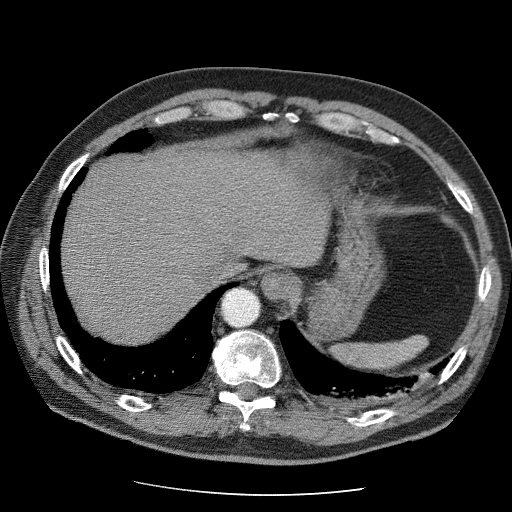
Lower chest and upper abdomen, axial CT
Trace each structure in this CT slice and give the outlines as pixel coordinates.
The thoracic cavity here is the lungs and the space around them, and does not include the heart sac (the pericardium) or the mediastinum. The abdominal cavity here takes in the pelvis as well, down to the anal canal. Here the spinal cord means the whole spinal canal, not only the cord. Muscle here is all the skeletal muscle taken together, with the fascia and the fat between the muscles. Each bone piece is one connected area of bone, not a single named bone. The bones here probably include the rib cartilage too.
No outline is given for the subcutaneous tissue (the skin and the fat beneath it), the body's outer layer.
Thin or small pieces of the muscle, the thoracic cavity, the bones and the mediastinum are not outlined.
{"bones":[{"outer":[[246,329],[262,333],[275,344],[282,375],[269,390],[276,400],[276,405],[273,408],[255,409],[247,421],[250,429],[243,431],[238,426],[243,420],[240,410],[235,405],[218,400],[218,392],[228,386],[210,367],[212,366],[211,354],[216,340],[233,331]],"hole":[[246,382],[248,382],[249,383],[253,383],[257,385],[260,388],[261,390],[261,391],[259,393],[259,395],[253,398],[251,400],[245,400],[244,399],[242,399],[240,397],[239,395],[239,393],[236,388],[236,387],[240,384],[242,384]]},[[324,111],[339,111],[350,114],[358,119],[365,120],[375,127],[397,136],[401,140],[401,143],[390,145],[381,142],[372,141],[363,132],[365,128],[364,126],[361,126],[360,130],[352,131],[350,135],[337,133],[326,129],[318,125],[315,122],[315,115]],[[215,99],[218,99],[219,100],[227,99],[228,100],[235,101],[244,105],[249,109],[249,111],[246,114],[246,116],[245,117],[238,118],[237,119],[218,119],[217,120],[215,119],[208,119],[205,117],[205,110],[203,107],[203,104],[204,102],[207,102]],[[382,407],[393,407],[398,411],[398,414],[388,418],[381,424],[374,423],[373,424],[370,424],[367,426],[362,426],[360,427],[359,426],[354,426],[350,424],[346,421],[345,419],[346,416],[358,415],[364,411],[367,410],[373,410]],[[58,334],[60,334],[61,335],[63,335],[65,336],[65,337],[67,339],[71,347],[77,353],[80,359],[81,364],[88,370],[86,371],[82,376],[78,374],[73,369],[72,369],[62,357],[60,352],[57,348],[57,346],[55,342],[55,336]],[[88,151],[90,153],[90,156],[88,158],[86,163],[83,166],[82,166],[76,173],[72,180],[69,183],[66,189],[62,193],[61,196],[58,196],[57,187],[58,186],[58,183],[59,182],[60,177],[63,173],[64,170],[73,160],[77,158],[81,154]],[[179,106],[189,106],[192,109],[192,112],[193,114],[192,114],[188,118],[186,119],[182,119],[178,121],[174,121],[173,122],[166,123],[158,126],[154,125],[152,122],[152,117],[155,114],[159,112],[165,111],[166,110],[168,110],[172,108],[175,108]],[[122,393],[126,393],[131,395],[137,395],[138,396],[141,396],[145,399],[151,401],[152,402],[152,407],[148,410],[146,410],[145,411],[141,411],[140,412],[132,412],[131,411],[126,410],[122,407],[119,406],[114,400],[114,399],[118,397],[119,395]],[[463,344],[466,344],[467,345],[467,351],[466,352],[464,359],[457,368],[457,369],[447,380],[446,380],[441,384],[437,384],[437,381],[439,378],[439,375],[440,373],[446,366],[446,365],[450,360],[451,357],[454,354],[455,351],[458,348],[458,347]],[[43,244],[44,244],[47,247],[48,247],[48,261],[49,262],[49,289],[47,292],[48,293],[47,294],[45,294],[43,291],[43,289],[42,288],[42,284],[41,283],[41,281],[40,280],[40,276],[39,275],[39,262],[38,261],[38,248],[39,248]],[[447,177],[449,178],[454,183],[456,184],[459,184],[465,190],[472,204],[472,207],[473,208],[473,211],[475,214],[475,216],[471,214],[469,214],[467,213],[460,206],[460,205],[457,202],[454,196],[452,194],[450,190],[447,187],[445,183],[445,181]],[[488,262],[489,262],[490,264],[490,267],[491,268],[491,275],[492,276],[491,277],[491,286],[485,297],[485,299],[483,301],[480,302],[477,296],[477,285],[478,284],[478,280],[479,279],[479,275],[480,274],[481,269],[482,267]]],"muscle":[[[198,88],[363,105],[405,126],[461,176],[485,218],[502,279],[489,345],[461,395],[422,417],[349,443],[315,445],[241,432],[171,437],[138,430],[85,404],[34,365],[17,321],[20,278],[30,229],[63,170],[48,246],[37,248],[41,288],[45,295],[50,290],[64,333],[54,342],[78,375],[89,371],[120,390],[113,400],[126,411],[148,411],[149,397],[194,386],[212,371],[227,386],[217,400],[239,410],[237,426],[243,432],[251,429],[255,410],[277,405],[270,390],[283,375],[355,414],[344,417],[350,425],[381,425],[399,414],[393,406],[438,376],[436,384],[443,384],[465,359],[468,345],[458,346],[460,338],[476,291],[483,302],[493,276],[489,261],[477,276],[482,248],[466,214],[476,216],[473,204],[459,183],[447,176],[444,183],[419,155],[400,145],[397,135],[339,110],[316,113],[315,123],[292,110],[284,119],[272,110],[246,117],[250,109],[244,104],[215,98],[202,104],[207,119],[190,119],[189,105],[172,107],[151,117],[155,126],[128,131],[87,163],[88,150],[76,157],[114,124]]],"torso":[[[208,66],[330,73],[391,87],[437,113],[475,157],[505,217],[511,240],[511,279],[489,361],[469,397],[441,430],[336,461],[258,465],[196,459],[140,446],[67,419],[42,397],[12,335],[2,290],[0,242],[16,203],[51,150],[107,99],[152,76]]],"spinal_cord":[[[246,382],[248,382],[249,383],[253,383],[257,385],[260,388],[261,390],[261,391],[259,393],[259,395],[253,398],[251,400],[245,400],[244,399],[242,399],[240,397],[239,395],[239,393],[236,388],[236,387],[240,384],[242,384]]],"mediastinum":[[[249,117],[292,124],[304,118],[337,134],[411,150],[445,184],[469,219],[481,248],[481,262],[474,260],[469,237],[449,210],[417,202],[394,206],[400,195],[397,172],[383,160],[351,145],[297,138],[291,124],[252,125],[152,145],[150,128],[187,119]],[[278,269],[292,271],[298,287],[294,321],[292,319],[282,319],[279,323],[278,337],[281,345],[281,351],[269,337],[262,332],[251,328],[233,330],[214,341],[211,332],[213,315],[216,304],[225,292],[237,287],[241,283],[238,281],[248,275]]],"abdominal_cavity":[[[268,125],[294,127],[287,171],[307,199],[340,214],[417,203],[453,215],[468,237],[477,277],[453,351],[403,377],[345,367],[298,327],[299,287],[284,268],[216,287],[145,345],[119,345],[82,327],[64,286],[60,244],[88,163],[102,152],[139,152]]],"pericardium":[[[303,137],[306,139],[327,140],[341,143],[346,147],[351,146],[362,150],[383,161],[396,172],[399,177],[399,195],[396,204],[386,210],[371,208],[360,209],[348,213],[340,213],[335,207],[330,208],[321,202],[305,197],[288,171],[290,147],[294,140]]],"thoracic_cavity":[[[86,164],[87,173],[66,208],[59,252],[65,293],[77,321],[91,336],[119,346],[151,344],[170,332],[210,292],[224,284],[240,283],[225,291],[215,304],[211,372],[198,383],[147,399],[122,392],[82,364],[61,328],[50,289],[50,233],[63,193]],[[282,320],[292,320],[316,350],[345,368],[387,378],[403,378],[421,374],[455,350],[437,377],[422,385],[399,403],[392,406],[367,409],[356,414],[342,411],[321,397],[307,392],[301,386],[292,383],[290,378],[283,374],[277,349],[282,351],[279,337]],[[141,128],[147,128],[149,129],[149,131],[153,137],[153,142],[150,145],[147,147],[145,147],[139,151],[118,151],[115,153],[111,153],[109,155],[106,155],[104,153],[104,151],[118,138],[123,136],[128,132],[138,131],[140,130]]]}